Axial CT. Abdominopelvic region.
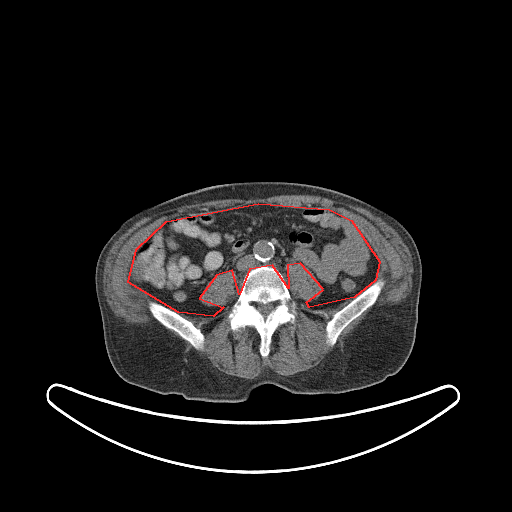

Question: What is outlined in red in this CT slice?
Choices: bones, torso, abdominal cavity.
Answer: red: abdominal cavity.
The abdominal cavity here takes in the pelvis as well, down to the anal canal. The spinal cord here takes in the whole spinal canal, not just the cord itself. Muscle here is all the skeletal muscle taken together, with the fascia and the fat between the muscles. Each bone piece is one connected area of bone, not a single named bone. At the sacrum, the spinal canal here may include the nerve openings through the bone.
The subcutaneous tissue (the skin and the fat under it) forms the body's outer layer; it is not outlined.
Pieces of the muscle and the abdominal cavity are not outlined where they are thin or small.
Outlines (x, y in pixels):
abdominal cavity: [[258,203],[329,209],[351,220],[379,261],[375,280],[354,297],[309,307],[306,302],[323,289],[300,263],[287,265],[288,288],[272,265],[249,269],[239,294],[232,270],[216,275],[199,298],[223,307],[213,316],[178,312],[128,282],[136,249],[166,221]]
bones 1: [[260,265],[275,267],[282,274],[291,299],[296,304],[294,310],[294,322],[284,323],[274,331],[271,336],[269,354],[265,357],[263,357],[259,351],[260,336],[258,332],[252,326],[232,330],[228,319],[230,310],[240,294],[241,285],[245,274],[252,268]], around a hole outlined by [[268,303],[272,303],[273,304],[273,305],[274,306],[273,307],[273,309],[266,316],[264,316],[257,309],[257,305],[258,304],[267,304]]
bones 2: [[378,279],[382,279],[384,281],[384,284],[375,302],[358,317],[351,321],[348,324],[348,325],[340,333],[336,340],[335,344],[333,346],[330,346],[328,345],[326,343],[326,325],[328,321],[337,311],[349,303],[356,296],[361,293],[372,283]]
bones 3: [[150,300],[155,301],[169,308],[171,310],[177,312],[184,318],[191,321],[193,324],[201,331],[204,336],[204,345],[203,346],[203,349],[202,350],[198,350],[194,348],[189,342],[183,339],[176,332],[166,328],[159,322],[152,315],[149,310],[148,301]]
spinal cord: [[268,303],[272,303],[273,304],[273,305],[274,306],[273,307],[273,309],[266,316],[264,316],[257,309],[257,305],[258,304],[267,304]]
muscle: [[278,195],[315,195],[331,199],[343,205],[347,206],[351,205],[363,208],[369,211],[375,216],[380,218],[396,231],[407,247],[412,259],[412,267],[413,268],[413,271],[411,275],[412,284],[410,292],[407,296],[397,304],[392,305],[387,305],[386,304],[381,306],[375,305],[367,313],[365,318],[359,323],[352,333],[343,341],[341,345],[338,345],[334,347],[325,356],[323,361],[320,364],[307,370],[287,376],[278,374],[268,367],[265,368],[258,376],[253,379],[233,376],[220,372],[213,367],[207,359],[199,355],[194,350],[186,350],[186,346],[181,339],[177,337],[174,337],[166,329],[163,328],[157,323],[153,321],[150,325],[147,324],[144,326],[129,323],[128,324],[122,318],[118,317],[114,314],[106,300],[106,296],[104,293],[103,273],[104,272],[105,261],[108,253],[114,243],[134,224],[142,219],[147,218],[157,213],[161,213],[173,208],[176,208],[183,205],[192,204],[196,202],[203,202],[218,199],[244,199],[247,200],[256,198],[267,198],[271,196],[277,196]]; inner edge: [[258,203],[332,210],[351,220],[375,252],[375,279],[384,281],[381,291],[333,346],[326,343],[326,325],[354,298],[333,307],[309,307],[306,302],[317,299],[323,289],[300,263],[287,265],[294,322],[274,331],[265,357],[252,326],[230,328],[228,315],[239,294],[232,270],[213,277],[199,298],[208,307],[223,307],[219,313],[178,313],[203,334],[202,350],[159,322],[149,310],[149,294],[128,282],[136,249],[166,221]]
torso: [[244,180],[294,181],[333,188],[382,209],[410,233],[420,255],[422,279],[415,340],[397,373],[368,387],[333,394],[294,394],[263,384],[239,402],[160,394],[130,384],[116,373],[106,351],[95,290],[95,267],[103,246],[126,219],[146,207],[201,187]]